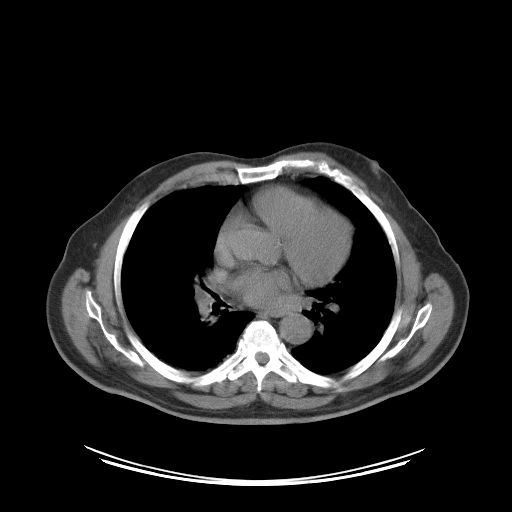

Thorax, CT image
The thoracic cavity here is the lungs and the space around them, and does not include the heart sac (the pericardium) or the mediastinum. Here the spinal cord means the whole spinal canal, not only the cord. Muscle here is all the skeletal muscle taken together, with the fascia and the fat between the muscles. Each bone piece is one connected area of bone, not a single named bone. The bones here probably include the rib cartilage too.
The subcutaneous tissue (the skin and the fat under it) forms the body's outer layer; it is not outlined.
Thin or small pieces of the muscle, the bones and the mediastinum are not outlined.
Outlines (x, y in pixels):
thoracic cavity 1: (205, 184) (243, 185) (245, 187) (219, 226) (212, 252) (213, 275) (217, 288) (233, 309) (250, 312) (253, 317) (242, 330) (234, 351) (216, 366) (203, 373) (177, 368) (160, 359) (143, 343) (126, 314) (121, 281) (124, 255) (133, 233) (146, 211) (156, 202) (178, 189)
thoracic cavity 2: (322, 175) (350, 191) (375, 218) (386, 237) (396, 274) (393, 312) (380, 339) (358, 361) (346, 369) (329, 375) (309, 369) (290, 352) (307, 342) (316, 329) (313, 322) (303, 313) (308, 297) (306, 292) (322, 288) (333, 281) (348, 260) (356, 229) (346, 215) (304, 182)
muscle 1: (301, 151) (323, 152) (361, 178) (407, 237) (422, 275) (437, 272) (447, 281) (454, 298) (452, 321) (425, 361) (409, 371) (390, 374) (369, 387) (300, 410) (272, 406) (260, 399) (247, 405) (205, 409) (179, 400) (164, 388) (141, 383) (120, 369) (98, 368) (84, 358) (73, 344) (61, 314) (61, 295) (68, 278) (78, 267) (93, 271) (94, 261) (116, 225) (161, 182) (191, 165) (217, 160) (251, 166) (237, 165) (233, 171) (200, 176) (190, 181) (190, 186) (184, 183) (150, 206) (149, 200) (144, 201) (128, 216) (116, 246) (112, 281) (118, 309) (121, 313) (123, 304) (136, 334) (127, 327) (124, 330) (133, 349) (122, 345) (106, 328) (101, 307) (92, 292) (87, 289) (84, 298) (88, 315) (97, 321) (110, 344) (141, 368) (145, 362) (168, 380) (193, 388) (226, 379) (234, 381) (250, 371) (258, 393) (270, 372) (289, 383) (335, 388) (340, 392) (342, 382) (355, 378) (377, 360) (393, 358) (426, 324) (432, 304) (427, 302) (418, 309) (407, 335) (387, 349) (402, 317) (400, 306) (394, 310) (400, 254) (392, 226) (383, 210) (353, 177) (331, 167) (326, 160) (274, 160)
muscle 2: (344, 370) (346, 370) (346, 371) (341, 376) (341, 377) (339, 380) (338, 380) (337, 379) (336, 379) (334, 377) (333, 377) (330, 375) (331, 375) (332, 374) (335, 374) (336, 373) (338, 373) (339, 372) (340, 372) (341, 371) (343, 371)
pericardium: (272, 182) (287, 183) (308, 189) (319, 195) (346, 216) (355, 229) (352, 236) (351, 248) (344, 265) (331, 281) (317, 287) (305, 289) (295, 297) (276, 301) (267, 307) (245, 307) (238, 305) (227, 298) (218, 286) (214, 275) (214, 248) (220, 226) (234, 205) (253, 188)
spinal cord: (258, 352) (262, 352) (263, 353) (265, 353) (266, 354) (267, 354) (267, 355) (268, 356) (268, 360) (264, 364) (260, 364) (257, 361) (257, 360) (255, 358) (255, 356) (256, 355) (256, 354)
torso: (311, 141) (341, 144) (377, 160) (459, 264) (470, 295) (465, 329) (452, 356) (430, 379) (405, 393) (329, 419) (239, 425) (185, 419) (106, 392) (85, 380) (62, 359) (52, 342) (45, 317) (50, 278) (73, 231) (128, 181) (149, 166) (184, 153) (211, 151) (261, 157)
mediastinum 1: (305, 290) (307, 290) (305, 292) (307, 297) (305, 298) (305, 308) (302, 313) (312, 322) (315, 329) (307, 341) (294, 347) (290, 351) (269, 321) (265, 319) (252, 320) (254, 317) (252, 312) (235, 310) (232, 304) (226, 299) (245, 308) (267, 308) (276, 302) (295, 298)
mediastinum 2: (301, 172) (312, 172) (321, 175) (310, 178) (303, 182) (314, 189) (319, 194) (308, 188) (302, 187) (296, 184) (272, 181) (262, 183) (253, 187) (247, 191) (237, 201) (245, 191) (246, 187) (244, 185) (246, 184) (273, 180) (282, 175) (292, 173) (296, 174)
bones 1: (87, 290) (100, 307) (105, 328) (122, 346) (134, 349) (127, 328) (156, 357) (190, 376) (216, 367) (235, 351) (249, 322) (265, 320) (302, 365) (339, 381) (379, 342) (397, 307) (401, 308) (401, 317) (387, 350) (408, 335) (418, 310) (430, 303) (431, 312) (393, 357) (377, 359) (355, 377) (342, 381) (340, 391) (289, 382) (270, 371) (258, 392) (250, 370) (234, 380) (226, 378) (193, 387) (168, 379) (145, 361) (141, 367) (117, 350) (89, 315), around a hole outlined by (258, 352) (262, 352) (263, 353) (265, 353) (266, 354) (267, 354) (267, 355) (268, 356) (268, 360) (264, 364) (260, 364) (257, 361) (257, 360) (255, 358) (255, 356) (256, 355) (256, 354)
bones 2: (281, 159) (324, 160) (331, 168) (337, 168) (352, 177) (388, 220) (397, 244) (398, 267) (395, 266) (383, 229) (368, 208) (343, 185) (313, 169) (293, 168) (273, 179) (245, 184) (203, 182) (191, 186) (190, 182) (205, 175) (233, 172) (237, 166) (261, 166)
bones 3: (146, 201) (149, 201) (150, 203) (149, 207) (145, 211) (137, 223) (123, 255) (121, 265) (121, 280) (120, 281) (121, 298) (122, 299) (121, 312) (116, 302) (116, 297) (114, 290) (114, 282) (113, 281) (115, 256) (117, 246) (123, 227) (129, 216) (136, 208)